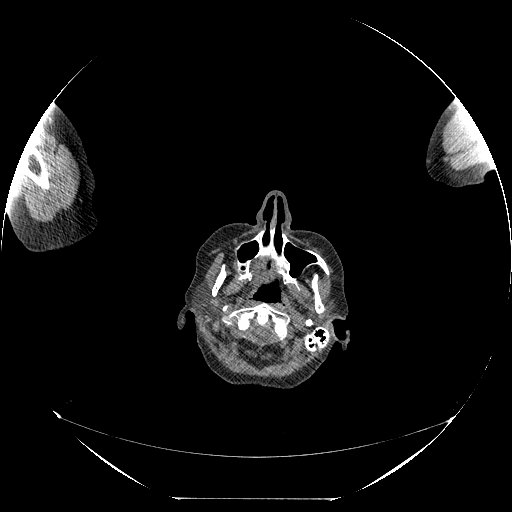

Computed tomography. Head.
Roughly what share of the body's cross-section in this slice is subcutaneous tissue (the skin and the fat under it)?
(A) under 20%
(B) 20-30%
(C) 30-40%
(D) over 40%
Answer: (C) 30-40%
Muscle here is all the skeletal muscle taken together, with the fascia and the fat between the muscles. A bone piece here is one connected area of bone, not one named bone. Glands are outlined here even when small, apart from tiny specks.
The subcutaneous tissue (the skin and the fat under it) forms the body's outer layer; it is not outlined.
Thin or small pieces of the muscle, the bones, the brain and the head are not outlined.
{"bones":[{"outer":[[261,302],[266,302],[274,308],[286,313],[289,316],[290,318],[290,322],[288,325],[289,332],[288,337],[285,340],[286,341],[285,343],[277,342],[260,347],[242,337],[242,333],[235,324],[228,326],[222,321],[222,317],[231,311],[241,307],[252,307]],"hole":[[253,324],[255,326],[260,326],[261,327],[262,327],[263,328],[265,328],[266,329],[269,329],[270,330],[270,332],[271,333],[271,334],[270,335],[270,336],[266,340],[260,340],[255,335],[254,335],[250,331],[250,328],[251,327],[251,326]]},{"outer":[[271,220],[276,221],[276,249],[278,251],[281,246],[281,229],[297,247],[287,243],[284,254],[290,264],[290,275],[297,278],[298,290],[292,283],[283,283],[282,276],[270,268],[270,260],[267,257],[252,261],[250,280],[238,280],[235,244],[250,239]],"hole":[[250,242],[256,242],[256,243],[257,244],[257,250],[255,252],[255,253],[251,257],[250,257],[249,258],[246,259],[244,261],[242,261],[241,260],[240,260],[240,259],[238,257],[238,251],[240,249],[240,248],[242,245],[243,245],[246,243],[249,243]]},[[24,146],[36,147],[37,149],[40,150],[43,153],[50,171],[49,172],[49,177],[48,178],[48,190],[46,191],[42,188],[39,184],[29,180],[26,177],[23,176],[20,173],[18,173],[15,170],[16,165],[24,148]],[[307,318],[311,319],[315,325],[324,325],[327,322],[329,329],[333,333],[329,343],[321,350],[318,349],[314,352],[310,352],[305,349],[302,343],[300,344],[299,347],[294,348],[295,340],[297,338],[299,339],[305,332],[310,331],[312,328],[304,324]],[[314,273],[317,273],[318,275],[318,279],[317,280],[317,287],[318,288],[318,291],[319,292],[320,298],[323,304],[325,306],[325,310],[320,314],[318,314],[315,310],[315,305],[314,304],[314,296],[310,286],[311,284],[311,280],[313,277],[313,274]],[[305,249],[310,249],[311,250],[315,251],[325,260],[327,264],[329,272],[330,273],[329,276],[328,276],[325,273],[325,272],[318,265],[316,264],[314,264],[302,271],[304,267],[307,264],[311,262],[313,262],[316,259],[316,258],[313,255],[304,251]],[[223,263],[224,263],[225,264],[225,272],[226,273],[226,277],[225,278],[223,283],[220,286],[220,287],[217,292],[217,294],[215,296],[213,296],[211,294],[211,289],[212,288],[212,287],[215,282],[215,280],[220,271],[220,269],[221,268],[221,265]]],"head":[{"outer":[[271,190],[284,193],[292,229],[317,232],[335,248],[348,306],[344,320],[332,321],[339,339],[349,330],[346,350],[336,342],[315,372],[289,389],[223,380],[209,368],[198,347],[193,313],[187,311],[184,326],[177,327],[199,247],[225,224],[254,224]],"holes":[[[287,244],[290,244],[296,248],[299,248],[303,250],[304,252],[313,256],[315,258],[313,261],[311,261],[307,263],[303,267],[301,270],[301,273],[297,277],[295,277],[291,275],[290,273],[291,264],[285,254],[285,249],[286,248]],[[273,282],[277,282],[277,284],[279,288],[279,295],[280,296],[280,299],[279,301],[270,301],[269,302],[267,302],[266,301],[261,301],[259,299],[255,299],[254,298],[254,294],[255,294],[262,286],[264,285],[267,285],[268,284],[271,284]],[[250,242],[256,242],[256,243],[257,244],[257,250],[255,252],[255,253],[251,257],[250,257],[249,258],[246,259],[244,261],[242,261],[241,260],[240,260],[240,259],[238,257],[238,251],[240,249],[240,248],[242,245],[243,245],[246,243],[249,243]],[[279,197],[281,198],[282,200],[282,204],[283,205],[283,220],[280,223],[280,229],[279,230],[280,246],[278,250],[275,244],[275,235],[276,234],[276,230],[277,229],[276,228],[276,225],[277,224],[277,218],[278,217],[278,208],[277,207],[277,200]],[[270,197],[273,197],[273,200],[272,201],[272,214],[271,215],[271,217],[270,218],[270,220],[268,222],[268,223],[268,222],[267,221],[267,220],[264,217],[264,210],[265,209],[265,207],[266,206],[266,204],[267,203],[267,202],[268,201],[268,200]]]}],"muscle":[{"outer":[[257,227],[263,227],[250,238],[234,244],[234,263],[238,281],[250,281],[253,277],[251,264],[254,260],[263,258],[269,260],[269,268],[281,276],[284,285],[292,284],[298,291],[300,289],[298,277],[314,265],[330,276],[326,260],[313,249],[298,247],[287,236],[285,230],[321,247],[329,256],[337,276],[333,287],[335,301],[332,299],[328,301],[331,315],[324,324],[315,324],[307,317],[303,324],[311,328],[310,330],[297,337],[293,343],[294,349],[302,344],[310,353],[327,347],[301,371],[281,379],[236,374],[225,369],[210,352],[199,329],[198,312],[208,306],[212,296],[218,294],[227,277],[226,264],[223,262],[210,293],[206,283],[202,281],[204,258],[221,241]],"holes":[[[273,282],[277,282],[280,299],[279,301],[270,301],[268,303],[289,316],[289,332],[285,343],[277,342],[260,347],[242,337],[242,333],[235,324],[226,325],[222,321],[222,317],[241,307],[252,307],[259,304],[261,301],[255,299],[254,294],[262,286]],[[314,273],[317,273],[318,275],[318,279],[317,280],[317,287],[318,288],[318,291],[319,292],[320,298],[323,304],[325,306],[325,310],[320,314],[318,314],[315,310],[315,305],[314,304],[314,296],[310,286],[311,284],[311,280],[313,277],[313,274]]]},[[38,121],[55,132],[58,137],[73,151],[80,170],[80,184],[71,209],[58,214],[51,222],[36,221],[22,204],[22,202],[9,192],[10,184],[15,171],[29,181],[39,185],[46,192],[49,190],[49,178],[51,171],[44,153],[36,146],[25,145]],[[460,102],[463,104],[468,111],[481,132],[493,158],[493,159],[486,162],[480,163],[478,165],[475,165],[465,169],[457,169],[450,165],[448,165],[445,162],[443,153],[441,151],[441,138],[443,134],[443,126],[446,122],[446,119],[449,114],[460,104]]],"brain":[[[253,324],[255,326],[260,326],[261,327],[262,327],[263,328],[265,328],[266,329],[269,329],[270,330],[270,332],[271,333],[271,334],[270,335],[270,336],[266,340],[260,340],[255,335],[254,335],[250,331],[250,328],[251,327],[251,326]]],"parotid_glands":[[[201,282],[204,282],[205,283],[206,285],[206,287],[209,291],[209,293],[211,296],[211,298],[207,306],[205,308],[203,309],[201,309],[198,311],[197,310],[195,310],[192,307],[192,304],[193,303],[192,302],[192,295],[196,287]],[[330,300],[332,300],[333,301],[334,301],[335,302],[335,305],[336,306],[337,306],[337,315],[332,315],[332,313],[330,311],[330,310],[329,309],[329,301]]],"right_arm":[[[52,102],[63,110],[81,138],[87,155],[88,164],[95,179],[95,188],[92,194],[92,209],[97,218],[97,225],[90,234],[76,243],[69,251],[33,252],[24,247],[16,237],[11,227],[8,212],[6,210],[7,198],[16,165],[24,146],[40,117]]],"left_arm":[[[455,98],[458,99],[463,104],[472,117],[481,132],[489,148],[494,161],[496,169],[488,171],[485,174],[484,181],[480,184],[467,185],[463,187],[452,187],[443,182],[436,181],[433,179],[429,175],[426,168],[425,155],[430,134],[442,111]]]}